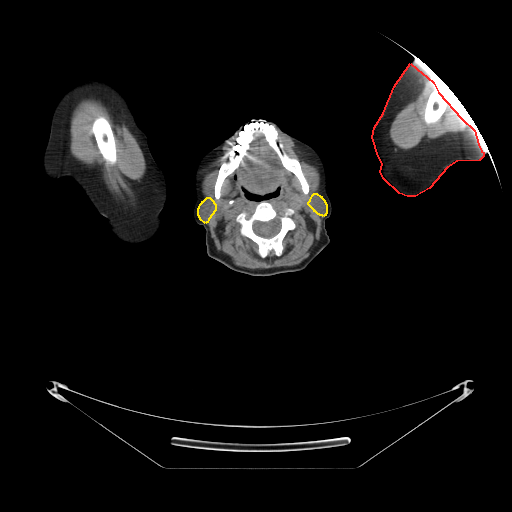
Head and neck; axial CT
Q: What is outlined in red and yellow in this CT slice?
A: red: left arm; yellow: parotid glands.
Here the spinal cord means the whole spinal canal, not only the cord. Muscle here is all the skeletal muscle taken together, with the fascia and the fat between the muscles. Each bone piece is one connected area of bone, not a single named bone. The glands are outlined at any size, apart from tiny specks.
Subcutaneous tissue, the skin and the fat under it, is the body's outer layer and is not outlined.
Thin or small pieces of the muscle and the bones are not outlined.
{"left_arm":[[[410,63],[433,82],[438,92],[461,118],[474,130],[478,144],[481,151],[483,152],[483,156],[479,160],[456,161],[447,167],[429,188],[415,196],[407,196],[399,193],[384,179],[380,172],[382,163],[378,156],[372,137],[374,127],[383,113],[394,86]]],"parotid_glands":[[[207,197],[209,197],[213,201],[213,202],[215,204],[215,210],[213,212],[213,213],[210,216],[210,217],[208,219],[207,222],[206,222],[205,223],[200,219],[200,218],[198,215],[198,208],[199,207],[200,204],[202,202],[202,201],[203,201]],[[314,193],[316,193],[320,196],[321,196],[321,197],[324,200],[324,201],[326,204],[326,213],[325,214],[325,215],[324,215],[323,216],[322,215],[320,215],[319,214],[318,214],[315,211],[314,211],[314,210],[308,204],[308,202],[310,200],[312,195]]],"muscle":[{"outer":[[277,128],[318,169],[320,195],[314,192],[307,204],[323,217],[320,239],[296,265],[249,269],[216,249],[206,223],[216,204],[204,199],[202,180],[237,133],[217,170],[213,195],[218,200],[225,179],[261,134],[307,195],[310,185],[300,161],[285,149]],"hole":[[276,190],[277,195],[265,200],[278,212],[284,208],[293,209],[294,212],[290,217],[295,227],[284,236],[280,255],[271,251],[265,257],[261,257],[258,245],[241,234],[241,225],[236,217],[243,211],[251,214],[259,202],[246,197],[246,191],[263,196]]},{"outer":[[84,97],[94,97],[102,101],[116,120],[124,122],[139,144],[145,159],[146,172],[139,181],[132,182],[131,186],[136,197],[133,203],[126,195],[124,200],[121,200],[109,190],[103,180],[103,174],[99,166],[88,166],[70,153],[70,117],[75,105]],"hole":[[100,116],[104,117],[108,121],[111,127],[111,129],[113,132],[113,135],[115,140],[115,146],[116,147],[116,161],[113,165],[107,164],[105,162],[97,146],[97,143],[95,139],[95,136],[92,132],[92,125],[93,124],[93,122],[96,118]]},[[429,79],[433,82],[435,89],[431,92],[425,102],[423,112],[424,122],[427,125],[438,122],[445,113],[448,102],[466,123],[464,125],[466,129],[444,133],[427,142],[422,141],[408,150],[397,148],[389,138],[391,123],[396,114],[407,103],[416,99]]],"head_and_neck":[{"outer":[[251,118],[275,122],[285,132],[312,147],[325,168],[326,192],[332,207],[330,216],[325,220],[330,241],[303,270],[297,272],[251,276],[231,270],[208,256],[205,229],[193,217],[196,200],[194,175],[198,162],[206,152],[224,141],[240,126],[248,123]],"hole":[[276,190],[278,190],[278,194],[277,195],[273,197],[271,197],[268,199],[261,200],[260,201],[257,201],[253,199],[249,199],[246,197],[246,195],[245,194],[245,192],[246,191],[250,194],[255,194],[256,195],[263,196],[266,194],[271,194],[275,192]]}],"spinal_cord":[[[275,218],[277,218],[280,221],[280,228],[279,230],[274,235],[270,237],[265,237],[261,235],[258,235],[254,232],[252,226],[253,225],[253,223],[255,221],[260,221],[261,222],[267,222]]],"right_arm":[[[86,77],[95,77],[108,82],[125,97],[137,125],[147,137],[152,156],[165,176],[167,197],[161,211],[161,226],[151,239],[138,245],[127,244],[110,231],[106,219],[95,209],[73,179],[68,176],[50,178],[43,170],[42,159],[54,107],[68,85]]],"bones":[[[259,119],[275,125],[278,138],[284,149],[290,156],[299,161],[309,185],[308,193],[303,193],[297,177],[282,164],[276,151],[264,135],[259,133],[249,143],[237,167],[224,179],[220,197],[216,199],[214,185],[224,156],[237,143],[238,131],[246,123]],{"outer":[[261,201],[268,202],[278,212],[284,208],[291,208],[294,211],[290,217],[295,227],[284,236],[282,240],[282,252],[278,256],[271,251],[265,257],[261,257],[258,253],[258,245],[250,238],[241,234],[241,225],[236,220],[237,215],[243,211],[251,214]],"hole":[[275,218],[277,218],[280,221],[280,228],[279,230],[274,235],[270,237],[265,237],[261,235],[258,235],[254,232],[252,226],[253,225],[253,223],[255,221],[260,221],[261,222],[267,222]]},[[100,116],[104,117],[108,121],[111,127],[111,129],[113,132],[113,135],[115,140],[115,146],[116,147],[116,161],[113,165],[107,164],[105,162],[97,146],[97,143],[95,139],[95,136],[92,132],[92,125],[93,124],[93,122],[96,118]],[[436,88],[438,92],[447,101],[446,102],[446,105],[445,106],[445,111],[438,121],[434,123],[427,124],[424,120],[424,112],[425,111],[425,106],[426,105],[426,102],[429,96],[432,93],[432,92],[433,92],[436,89]]]}